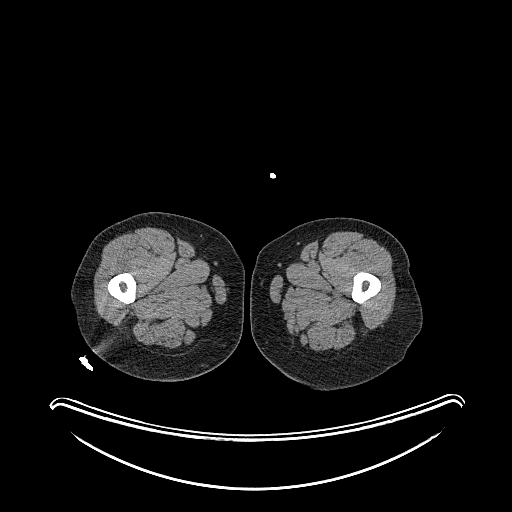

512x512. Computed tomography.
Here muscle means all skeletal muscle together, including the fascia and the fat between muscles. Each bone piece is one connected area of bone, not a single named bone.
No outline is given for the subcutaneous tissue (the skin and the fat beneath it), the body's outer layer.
The right leg is outlined by 143 212; 168 212; 178 214; 212 226; 225 235; 231 242; 244 267; 244 320; 242 335; 237 347; 223 363; 214 369; 184 381; 160 382; 136 378; 112 367; 100 359; 85 343; 78 329; 71 302; 71 287; 77 268; 93 238; 107 226. The muscle appears in 2 outlined pieces: piece 1: 338 228; 352 228; 363 232; 385 247; 392 254; 397 265; 399 276; 399 300; 394 311; 383 327; 377 328; 372 332; 371 335; 365 338; 353 349; 335 359; 322 359; 304 356; 280 342; 270 317; 265 278; 272 263; 299 240; 317 232, around a hole outlined by 361 271; 366 272; 376 277; 379 280; 380 282; 380 286; 379 287; 379 290; 373 296; 364 300; 362 302; 357 302; 353 299; 352 299; 351 292; 352 291; 352 287; 353 286; 353 280; 354 279; 354 276; 358 273; 359 273; piece 2: 152 224; 169 225; 193 244; 223 274; 227 287; 226 305; 222 320; 213 331; 201 338; 203 339; 192 351; 184 355; 161 356; 140 349; 129 340; 116 335; 95 310; 93 301; 93 277; 99 265; 103 247; 118 235, around a hole outlined by 122 272; 129 272; 131 273; 136 282; 136 293; 135 294; 135 299; 134 301; 128 304; 126 304; 118 300; 116 298; 112 296; 109 293; 108 291; 108 289; 107 288; 107 284; 109 280; 113 276; 119 273; 121 273. The bones appear in 2 outlined pieces: piece 1: 122 272; 129 272; 131 273; 136 282; 136 293; 135 294; 135 299; 134 301; 128 304; 126 304; 118 300; 116 298; 112 296; 109 293; 108 291; 108 289; 107 288; 107 284; 109 280; 113 276; 119 273; 121 273; piece 2: 361 271; 366 272; 376 277; 379 280; 380 282; 380 286; 379 287; 379 290; 373 296; 364 300; 362 302; 357 302; 353 299; 352 299; 351 292; 352 291; 352 287; 353 286; 353 280; 354 279; 354 276; 358 273; 359 273. The left leg is outlined by 338 216; 355 217; 375 223; 389 231; 400 241; 409 259; 410 272; 421 302; 423 322; 420 332; 399 363; 362 384; 343 389; 321 391; 306 387; 285 376; 256 347; 250 330; 250 281; 256 257; 262 247; 268 242; 304 222; 318 218.